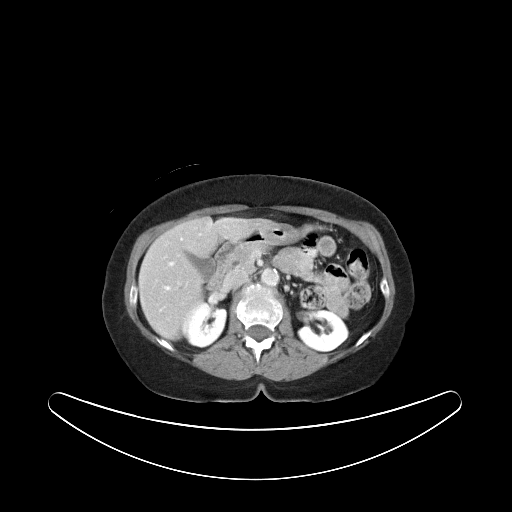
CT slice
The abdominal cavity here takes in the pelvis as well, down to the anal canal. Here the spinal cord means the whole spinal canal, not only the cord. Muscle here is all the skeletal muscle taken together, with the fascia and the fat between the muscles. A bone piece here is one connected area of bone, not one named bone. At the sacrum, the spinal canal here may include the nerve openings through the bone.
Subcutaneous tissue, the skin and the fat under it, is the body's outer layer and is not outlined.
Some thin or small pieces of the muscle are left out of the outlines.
{"spinal_cord":[[[255,325],[261,325],[262,326],[264,326],[265,327],[266,327],[269,330],[269,335],[267,337],[265,337],[260,341],[258,341],[254,338],[253,338],[251,336],[250,336],[248,333],[248,331],[249,330],[250,327],[251,327],[252,326],[254,326]]],"bones":[{"outer":[[255,284],[259,284],[267,290],[275,293],[274,298],[280,300],[283,307],[283,315],[274,329],[275,340],[269,348],[264,349],[261,352],[258,362],[256,361],[253,350],[246,347],[242,340],[245,329],[235,311],[237,301],[243,297],[243,291]],"hole":[[255,325],[261,325],[262,326],[264,326],[265,327],[266,327],[269,330],[269,335],[267,337],[265,337],[260,341],[258,341],[254,338],[253,338],[251,336],[250,336],[248,333],[248,331],[249,330],[250,327],[251,327],[252,326],[254,326]]},[[133,283],[135,283],[135,285],[136,286],[136,287],[137,288],[137,301],[136,302],[136,305],[135,306],[133,306],[132,305],[131,305],[130,304],[130,303],[129,302],[129,292],[130,291],[130,288],[131,287],[131,285]],[[382,277],[384,277],[386,279],[386,280],[387,281],[387,283],[388,284],[388,286],[389,287],[389,296],[387,298],[385,298],[384,297],[384,296],[383,295],[383,294],[382,293],[382,292],[380,289],[380,281],[381,280],[381,279],[382,278]],[[156,336],[158,336],[159,337],[160,337],[161,338],[163,338],[165,340],[166,340],[170,344],[171,344],[171,345],[174,348],[174,350],[173,351],[171,351],[170,350],[169,350],[167,348],[166,348],[165,347],[160,345],[159,344],[159,343],[156,340]],[[368,330],[370,330],[371,331],[371,332],[370,333],[370,334],[369,335],[369,336],[367,338],[366,338],[359,345],[358,345],[357,346],[355,346],[355,343],[356,342],[356,341],[365,332],[366,332]]],"muscle":[{"outer":[[224,204],[245,204],[252,207],[255,206],[269,206],[270,205],[305,206],[306,207],[312,207],[313,208],[318,208],[319,209],[327,210],[330,212],[335,213],[340,216],[349,219],[364,220],[371,223],[378,230],[383,239],[390,260],[392,276],[394,280],[394,285],[395,286],[394,305],[392,311],[389,317],[385,322],[383,327],[377,333],[375,337],[372,338],[370,340],[370,342],[363,348],[358,350],[354,353],[348,355],[346,357],[344,357],[338,360],[334,363],[329,364],[305,377],[288,382],[285,382],[284,381],[279,381],[278,382],[277,381],[269,380],[260,375],[254,375],[250,378],[245,380],[227,380],[210,375],[198,369],[196,367],[187,364],[166,354],[159,347],[148,341],[142,336],[139,330],[128,315],[124,304],[124,285],[125,284],[125,279],[126,278],[126,267],[127,266],[127,262],[129,258],[129,255],[132,246],[136,238],[143,231],[149,227],[156,224],[159,224],[162,222],[171,219],[178,218],[196,209],[208,207],[209,206],[214,206],[215,205],[223,205]],"hole":[[260,210],[337,224],[376,256],[389,296],[369,336],[357,346],[317,351],[296,337],[283,302],[275,340],[257,362],[242,340],[245,329],[234,301],[225,334],[208,347],[191,352],[160,345],[142,321],[138,306],[129,302],[146,248],[162,232],[190,218]]}],"abdominal_cavity":[[[260,210],[301,214],[337,224],[357,236],[376,256],[381,268],[383,309],[377,321],[354,343],[327,352],[308,347],[296,337],[285,304],[259,283],[248,286],[232,303],[225,334],[199,351],[173,346],[142,321],[136,270],[144,251],[158,235],[200,215]]],"torso":[[[251,173],[299,176],[349,189],[378,207],[395,228],[412,266],[415,305],[399,353],[386,373],[373,385],[320,402],[276,402],[262,392],[245,402],[192,402],[150,391],[118,355],[104,323],[101,295],[108,259],[128,223],[146,205],[180,186],[218,176]]]}